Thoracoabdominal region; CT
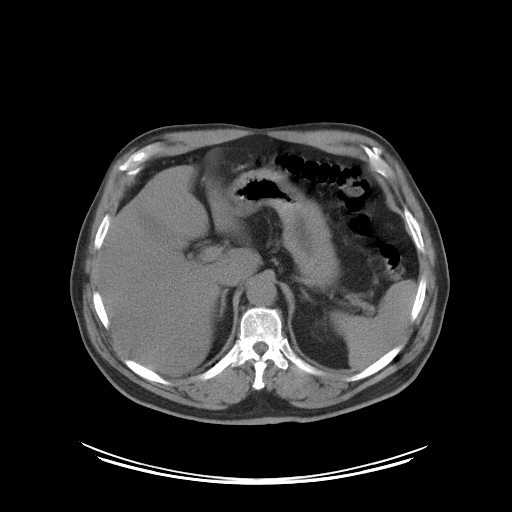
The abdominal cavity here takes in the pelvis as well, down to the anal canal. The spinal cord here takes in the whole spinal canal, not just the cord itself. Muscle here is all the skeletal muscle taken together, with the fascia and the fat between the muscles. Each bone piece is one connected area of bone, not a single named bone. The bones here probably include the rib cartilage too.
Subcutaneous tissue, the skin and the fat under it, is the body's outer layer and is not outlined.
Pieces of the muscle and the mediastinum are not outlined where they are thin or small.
{"bones":[{"outer":[[258,306],[279,311],[283,334],[293,350],[323,374],[303,371],[291,361],[286,369],[282,369],[272,360],[267,360],[262,374],[264,386],[257,390],[252,386],[255,370],[250,359],[239,366],[228,365],[211,378],[197,378],[233,345],[242,314],[248,308]],"hole":[[257,342],[264,342],[267,345],[267,346],[268,347],[267,348],[267,349],[262,354],[259,354],[258,353],[257,353],[254,350],[254,349],[253,348],[253,346]]},[[158,141],[163,143],[162,148],[159,151],[154,153],[147,160],[143,162],[141,164],[142,165],[142,168],[139,172],[133,177],[128,175],[125,171],[123,170],[122,171],[118,169],[118,166],[122,164],[131,154],[148,144],[150,144],[154,142],[157,142]],[[397,345],[403,345],[402,348],[395,357],[389,363],[381,369],[369,376],[367,376],[358,380],[355,380],[354,381],[346,381],[345,380],[345,378],[346,377],[351,376],[353,374],[355,374],[363,370],[366,367],[375,362],[384,354],[388,352],[392,348]],[[361,145],[365,145],[370,148],[372,147],[377,147],[381,149],[381,154],[380,156],[393,170],[394,175],[392,177],[384,177],[376,171],[373,170],[370,164],[367,161],[367,159],[368,158],[366,154],[362,149],[361,147]],[[404,206],[406,206],[407,207],[407,208],[411,212],[419,224],[419,226],[420,227],[420,232],[421,233],[422,239],[423,240],[423,243],[424,244],[424,252],[418,251],[414,243],[414,241],[410,233],[410,230],[404,219],[404,216],[403,215],[403,208]],[[125,359],[130,359],[131,360],[133,360],[135,362],[155,372],[157,374],[158,374],[163,378],[166,379],[171,383],[170,384],[163,384],[162,383],[160,383],[156,381],[150,381],[138,375],[131,369],[130,369],[124,363],[124,360]],[[422,275],[424,275],[426,278],[425,296],[424,297],[424,299],[423,300],[421,308],[416,318],[413,321],[411,321],[410,320],[410,314],[412,310],[412,307],[414,303],[415,296],[417,292],[417,289],[418,288],[418,282],[419,281],[419,279]],[[94,291],[98,291],[98,292],[101,297],[101,301],[103,304],[103,307],[105,310],[105,312],[106,313],[107,318],[109,321],[109,327],[107,329],[104,327],[102,322],[100,320],[100,319],[95,310],[95,308],[94,307],[94,304],[93,303],[93,292]],[[106,214],[108,214],[110,216],[110,221],[109,222],[109,225],[108,226],[106,234],[103,239],[103,241],[101,244],[100,248],[99,249],[96,249],[94,247],[94,240],[95,239],[95,235],[96,234],[96,232],[98,229],[98,227],[103,217]]],"torso":[[[311,121],[353,123],[386,138],[401,156],[436,219],[447,258],[450,290],[439,336],[420,372],[394,396],[351,412],[302,423],[205,423],[176,417],[132,401],[107,380],[87,352],[69,292],[78,234],[111,159],[134,137],[164,125],[227,122],[264,127]]],"mediastinum":[[[259,276],[271,277],[281,288],[281,291],[283,292],[283,295],[285,296],[285,300],[287,302],[287,313],[285,319],[283,320],[283,323],[280,311],[274,307],[258,305],[248,307],[242,313],[240,311],[240,294],[242,292],[242,288],[250,280],[253,280]]],"spinal_cord":[[[257,342],[264,342],[267,345],[267,346],[268,347],[267,348],[267,349],[262,354],[259,354],[258,353],[257,353],[254,350],[254,349],[253,348],[253,346]]],"muscle":[[[208,129],[354,132],[378,142],[399,163],[422,209],[436,257],[437,300],[433,323],[429,338],[417,356],[348,399],[324,407],[298,407],[260,390],[265,386],[263,374],[267,361],[282,370],[291,362],[299,370],[316,376],[323,375],[324,371],[315,366],[350,373],[344,378],[346,382],[378,372],[403,348],[398,343],[409,322],[417,318],[427,287],[426,276],[422,274],[419,278],[418,252],[425,252],[421,227],[406,205],[402,215],[390,206],[382,177],[392,178],[395,173],[381,156],[381,148],[361,144],[367,158],[364,160],[263,133],[149,160],[163,148],[162,141],[134,151],[117,166],[133,179],[111,219],[108,213],[102,217],[93,240],[93,247],[99,250],[93,307],[103,327],[111,329],[115,341],[129,358],[123,363],[130,370],[150,382],[170,385],[165,378],[183,378],[202,372],[196,378],[205,381],[228,366],[239,367],[250,360],[254,370],[251,386],[256,391],[223,409],[190,406],[135,383],[98,353],[86,328],[82,295],[88,280],[84,265],[91,226],[109,172],[126,152],[144,145],[152,137]]],"abdominal_cavity":[[[256,134],[358,158],[381,176],[389,206],[403,216],[417,250],[409,321],[396,345],[355,373],[313,365],[284,334],[288,302],[282,288],[259,275],[241,288],[238,333],[229,349],[203,371],[163,377],[128,357],[110,327],[97,277],[110,222],[142,164]]]}